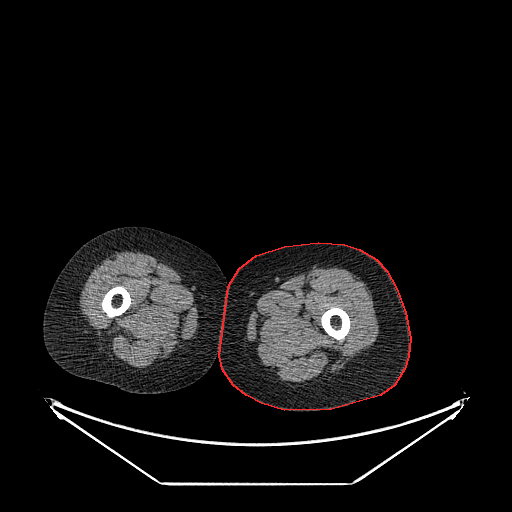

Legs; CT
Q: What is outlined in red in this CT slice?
A: red: left leg.
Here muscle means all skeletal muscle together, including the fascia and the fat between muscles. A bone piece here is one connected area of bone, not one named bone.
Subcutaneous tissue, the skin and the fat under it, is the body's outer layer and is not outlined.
Outlined structures:
left leg: 318,242 344,244 359,249 376,259 386,270 396,288 405,312 410,338 408,356 404,369 394,385 380,395 331,409 284,410 261,403 246,395 233,385 222,369 219,355 228,286 239,268 256,255 284,246
muscle 1: 314,265 342,265 368,283 372,290 379,310 380,334 373,345 352,362 348,370 340,378 341,379 323,387 295,390 261,376 249,363 244,352 244,333 247,306 246,305 251,292 255,290 260,290 280,278 302,271 with a hole at 331,307 340,307 342,308 348,314 350,318 350,328 349,329 349,331 348,333 344,337 344,338 342,338 340,340 338,340 330,336 323,329 321,325 321,320 320,319 321,317 321,315 324,311 325,311 327,309
muscle 2: 121,248 141,249 176,267 193,283 197,291 199,313 198,314 198,331 196,339 188,346 175,354 166,364 147,374 136,374 107,364 92,346 84,323 84,319 78,306 78,292 89,271 103,257; inner edge: 114,286 121,286 123,287 130,294 130,297 131,298 131,303 129,307 122,314 118,315 117,316 114,316 113,317 109,317 107,316 107,315 102,310 102,308 101,307 101,301 102,300 103,295 104,295 109,289
right leg: 123,226 154,228 196,245 216,261 226,278 228,285 221,325 219,354 207,372 188,386 162,393 131,393 116,386 81,378 65,371 54,362 45,348 42,334 43,313 51,288 60,271 71,256 88,240 107,230
bones 1: 331,307 340,307 342,308 348,314 350,318 350,328 349,329 349,331 348,333 344,337 344,338 342,338 340,340 338,340 330,336 323,329 321,325 321,320 320,319 321,317 321,315 324,311 325,311 327,309
bones 2: 114,286 121,286 123,287 130,294 130,297 131,298 131,303 129,307 122,314 118,315 117,316 114,316 113,317 109,317 107,316 107,315 102,310 102,308 101,307 101,301 102,300 103,295 104,295 109,289